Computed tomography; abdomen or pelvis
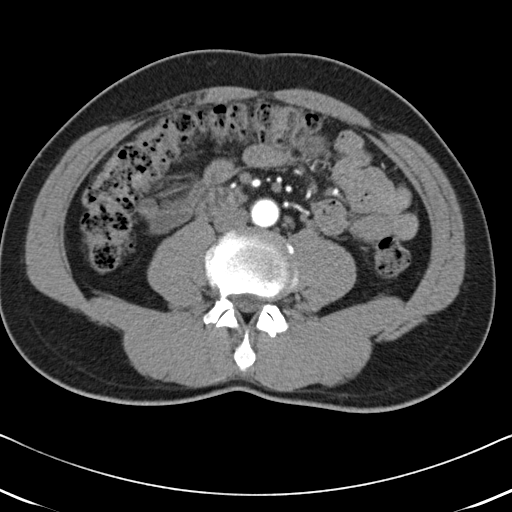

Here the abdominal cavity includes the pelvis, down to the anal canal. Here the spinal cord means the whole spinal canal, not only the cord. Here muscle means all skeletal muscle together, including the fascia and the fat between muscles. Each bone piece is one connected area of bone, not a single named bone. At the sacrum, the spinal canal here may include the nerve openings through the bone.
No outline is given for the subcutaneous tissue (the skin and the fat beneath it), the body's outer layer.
The muscle is outlined by [[213,86],[239,86],[250,88],[254,90],[263,89],[267,91],[275,91],[290,88],[304,88],[332,96],[357,109],[375,124],[385,128],[388,131],[393,131],[404,134],[419,143],[438,163],[448,178],[456,194],[456,197],[460,206],[465,234],[464,235],[465,236],[465,269],[463,280],[458,294],[453,301],[444,308],[440,313],[436,315],[433,315],[428,318],[425,322],[419,324],[398,338],[389,341],[382,341],[377,343],[376,342],[373,345],[370,358],[365,366],[354,378],[350,379],[345,383],[332,387],[326,386],[318,388],[297,389],[294,391],[277,391],[241,378],[235,378],[216,384],[201,387],[179,386],[163,382],[160,380],[154,380],[146,378],[140,374],[130,363],[122,344],[122,335],[119,332],[108,326],[98,325],[96,323],[90,321],[82,313],[73,311],[66,305],[45,295],[39,291],[31,283],[26,274],[25,261],[24,260],[25,240],[26,239],[28,223],[32,213],[33,205],[36,197],[47,177],[67,149],[79,137],[96,127],[120,121],[176,95],[192,90],[197,90],[201,88],[212,87]], around a hole outlined by [[254,97],[329,115],[367,136],[417,192],[431,239],[429,260],[415,289],[322,313],[354,286],[356,261],[345,247],[309,227],[292,234],[288,241],[298,282],[274,302],[288,327],[271,337],[250,323],[255,360],[242,371],[233,357],[242,333],[203,321],[219,297],[205,273],[205,252],[217,242],[208,223],[185,224],[153,252],[146,279],[167,309],[82,287],[66,253],[65,224],[86,176],[134,129],[172,113]]. The abdominal cavity is outlined by [[254,97],[337,118],[402,171],[430,226],[429,260],[415,289],[322,313],[356,282],[356,261],[345,247],[309,227],[288,240],[250,227],[217,239],[200,220],[165,237],[147,266],[147,282],[167,309],[82,287],[66,253],[65,224],[96,164],[142,124]]. The bones are outlined by [[248,228],[276,232],[292,245],[298,282],[274,302],[288,324],[285,331],[271,337],[257,329],[254,321],[249,324],[249,343],[255,360],[242,371],[233,357],[242,333],[203,321],[204,314],[219,297],[218,290],[211,287],[207,279],[204,256],[225,233]] with a hole at [[239,294],[252,294],[253,295],[255,295],[256,296],[261,297],[265,300],[265,303],[262,306],[260,311],[257,314],[256,313],[248,313],[247,312],[243,312],[242,311],[240,311],[235,308],[235,306],[230,298],[230,297],[232,295],[238,295]]. The spinal cord is outlined by [[239,294],[252,294],[253,295],[255,295],[256,296],[261,297],[265,300],[265,303],[262,306],[260,311],[257,314],[256,313],[248,313],[247,312],[243,312],[242,311],[240,311],[235,308],[235,306],[230,298],[230,297],[232,295],[238,295]]. The torso is outlined by [[207,48],[310,53],[347,63],[411,103],[457,158],[485,214],[496,293],[491,325],[479,353],[439,392],[403,408],[375,413],[282,403],[244,391],[178,404],[129,405],[67,390],[18,353],[0,317],[0,239],[25,170],[52,135],[106,87],[158,59]].